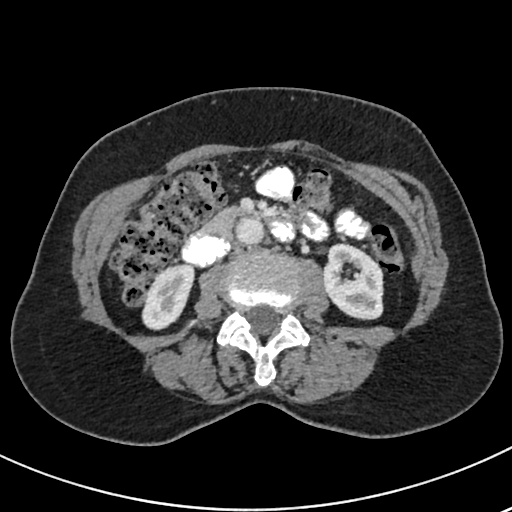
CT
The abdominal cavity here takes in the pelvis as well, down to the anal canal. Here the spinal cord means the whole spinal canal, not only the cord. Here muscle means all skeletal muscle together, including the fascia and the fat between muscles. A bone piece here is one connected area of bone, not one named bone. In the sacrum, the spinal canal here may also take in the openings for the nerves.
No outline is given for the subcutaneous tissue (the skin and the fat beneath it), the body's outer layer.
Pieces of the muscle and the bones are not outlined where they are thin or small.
{"bones":[{"outer":[[265,250],[293,257],[297,263],[302,291],[293,313],[308,333],[309,342],[306,346],[281,350],[273,360],[274,379],[268,385],[260,386],[254,380],[255,362],[252,357],[238,347],[218,344],[216,336],[227,314],[234,310],[222,285],[228,264],[241,254]],"hole":[[260,304],[265,304],[270,307],[274,307],[276,309],[276,311],[281,316],[281,318],[280,319],[280,321],[279,322],[278,326],[276,327],[268,336],[260,336],[259,335],[255,334],[251,329],[252,328],[251,324],[247,320],[244,314],[250,307],[253,307]]}],"muscle":[{"outer":[[290,139],[303,139],[319,144],[346,160],[374,164],[407,172],[425,183],[431,193],[437,209],[442,233],[442,246],[449,259],[449,267],[443,286],[444,289],[441,294],[441,300],[429,320],[421,325],[411,328],[405,335],[398,336],[381,348],[379,357],[372,372],[355,390],[345,397],[333,399],[324,403],[300,404],[290,402],[269,391],[262,390],[248,394],[241,399],[237,399],[226,404],[210,405],[184,399],[176,395],[171,390],[163,387],[157,381],[150,369],[146,366],[144,355],[136,348],[106,327],[80,317],[82,308],[78,302],[76,285],[70,273],[72,250],[71,238],[74,224],[81,211],[103,190],[130,179],[152,173],[175,155],[196,146],[208,143],[258,146]],"hole":[[264,150],[315,159],[389,205],[414,242],[411,271],[420,291],[415,308],[400,327],[327,324],[323,316],[330,301],[323,270],[311,257],[295,257],[302,291],[293,313],[309,342],[281,350],[273,360],[274,379],[260,386],[254,380],[252,357],[216,341],[221,323],[234,310],[222,285],[227,263],[197,277],[199,294],[193,304],[197,322],[163,334],[130,333],[116,325],[101,298],[99,275],[133,209],[162,179],[210,156]]}],"abdominal_cavity":[[[264,150],[305,156],[341,172],[403,221],[414,242],[411,271],[420,288],[403,325],[327,324],[323,316],[330,301],[321,266],[311,257],[267,249],[241,253],[201,272],[195,317],[177,331],[130,333],[116,325],[101,298],[99,275],[137,204],[188,164]]],"spinal_cord":[[[260,304],[265,304],[270,307],[274,307],[276,309],[276,311],[281,316],[281,318],[280,319],[280,321],[279,322],[278,326],[276,327],[268,336],[260,336],[259,335],[255,334],[251,329],[252,328],[251,324],[247,320],[244,314],[250,307],[253,307]]],"torso":[[[244,86],[305,87],[361,98],[406,116],[429,140],[472,218],[503,328],[501,362],[491,385],[456,418],[408,435],[372,439],[315,427],[256,403],[169,443],[140,446],[63,424],[23,386],[11,356],[12,316],[77,160],[101,136],[148,112],[195,94]]]}